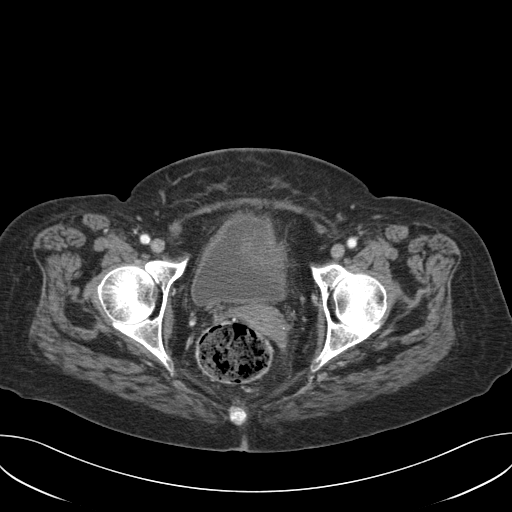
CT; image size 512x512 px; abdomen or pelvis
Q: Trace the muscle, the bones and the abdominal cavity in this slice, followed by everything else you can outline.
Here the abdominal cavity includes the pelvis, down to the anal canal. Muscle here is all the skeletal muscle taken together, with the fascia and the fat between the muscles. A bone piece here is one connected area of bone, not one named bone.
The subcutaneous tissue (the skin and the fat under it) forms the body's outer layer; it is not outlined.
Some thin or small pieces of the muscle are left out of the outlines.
A: {"muscle":[{"outer":[[241,196],[288,198],[340,222],[383,215],[453,239],[461,254],[451,281],[456,339],[434,370],[328,415],[241,426],[248,414],[237,404],[228,408],[233,424],[210,425],[37,361],[27,343],[42,285],[32,250],[38,232],[91,212],[158,233],[179,214]],"hole":[[242,207],[306,217],[328,240],[325,254],[310,264],[366,273],[387,295],[381,326],[312,372],[327,329],[318,287],[308,364],[250,401],[220,395],[173,354],[175,280],[161,323],[172,374],[111,325],[96,296],[116,267],[188,256],[180,248],[189,220]]}],"bones":[[[187,256],[189,256],[189,260],[183,274],[170,286],[161,323],[163,347],[171,358],[173,364],[173,373],[171,374],[143,345],[111,325],[109,318],[102,310],[97,300],[96,287],[106,273],[121,265],[133,264],[142,267],[146,262],[155,259],[179,262]],[[329,263],[336,263],[351,272],[363,272],[376,278],[385,288],[387,295],[387,308],[382,318],[382,324],[377,330],[364,340],[331,358],[317,371],[312,372],[310,370],[310,366],[314,358],[323,348],[327,323],[320,290],[312,277],[310,265],[321,266]],[[231,405],[237,405],[238,406],[240,406],[241,407],[242,407],[243,408],[243,409],[246,412],[246,413],[247,414],[247,418],[246,419],[245,422],[244,422],[241,425],[236,425],[235,424],[232,423],[230,421],[230,420],[229,419],[229,408]]],"abdominal_cavity":[[[242,207],[283,210],[302,215],[328,240],[325,254],[309,263],[318,292],[315,342],[309,362],[266,394],[250,401],[228,399],[220,395],[211,385],[184,367],[170,345],[174,324],[173,290],[190,260],[189,253],[180,248],[183,243],[183,224],[215,211]]],"torso":[[[229,147],[272,147],[309,154],[349,171],[377,196],[417,198],[464,218],[490,253],[511,314],[511,369],[485,393],[407,425],[342,443],[268,453],[155,442],[0,388],[0,233],[8,223],[27,208],[53,198],[110,193],[123,200],[156,169],[190,155]]]}